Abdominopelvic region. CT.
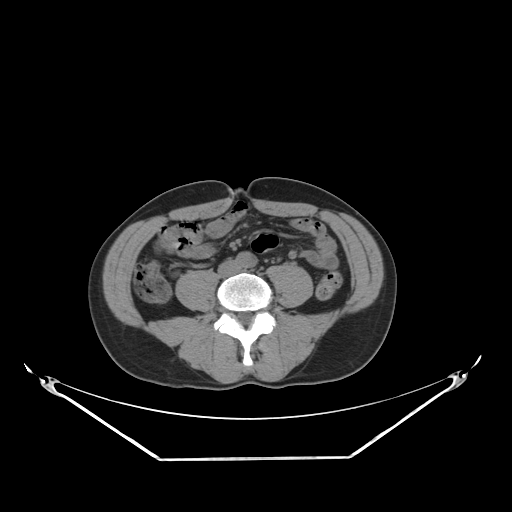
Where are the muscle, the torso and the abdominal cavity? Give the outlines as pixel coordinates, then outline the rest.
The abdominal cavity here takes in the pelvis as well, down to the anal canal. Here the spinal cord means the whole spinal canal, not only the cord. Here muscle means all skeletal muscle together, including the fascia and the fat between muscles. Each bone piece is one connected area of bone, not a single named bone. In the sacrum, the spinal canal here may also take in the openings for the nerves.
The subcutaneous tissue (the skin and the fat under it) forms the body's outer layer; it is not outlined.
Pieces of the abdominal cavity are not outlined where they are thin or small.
Outlined structures:
muscle: (243, 194) (330, 206) (352, 215) (368, 230) (380, 250) (383, 283) (374, 302) (338, 320) (322, 336) (304, 366) (289, 377) (264, 381) (248, 374) (231, 383) (211, 382) (196, 373) (159, 339) (122, 323) (114, 316) (103, 294) (103, 265) (113, 242) (131, 223) (174, 208) with a hole at (239, 198) (328, 224) (350, 274) (342, 305) (305, 313) (295, 308) (313, 294) (310, 274) (295, 262) (268, 267) (276, 324) (250, 346) (250, 366) (240, 341) (213, 328) (224, 309) (212, 269) (175, 283) (193, 315) (146, 321) (131, 291) (137, 257) (163, 224) (215, 217)
torso: (264, 176) (302, 180) (335, 194) (384, 238) (396, 267) (397, 293) (391, 325) (377, 353) (363, 368) (342, 379) (282, 388) (255, 384) (226, 390) (172, 388) (125, 372) (102, 346) (89, 313) (88, 275) (101, 244) (132, 212) (168, 189) (206, 179) (246, 187)
abdominal cavity: (239, 198) (260, 213) (310, 215) (328, 224) (349, 268) (343, 304) (317, 313) (296, 310) (314, 286) (295, 262) (268, 267) (271, 286) (253, 272) (219, 284) (212, 269) (192, 269) (179, 276) (174, 293) (197, 313) (146, 321) (131, 278) (148, 240) (170, 220) (215, 217)
spinal cord: (246, 311) (250, 311) (251, 312) (252, 312) (253, 313) (253, 318) (252, 319) (252, 321) (251, 322) (251, 323) (249, 325) (248, 325) (247, 326) (245, 326) (244, 325) (243, 325) (236, 318) (236, 313) (237, 313) (238, 312) (245, 312)
bones: (241, 272) (253, 273) (263, 278) (269, 284) (272, 289) (272, 298) (266, 309) (276, 322) (270, 333) (259, 335) (250, 346) (250, 356) (253, 361) (250, 366) (246, 366) (242, 362) (244, 350) (240, 341) (213, 328) (213, 323) (224, 310) (216, 295) (217, 288) (224, 279) with a hole at (246, 311) (250, 311) (251, 312) (252, 312) (253, 313) (253, 318) (252, 319) (252, 321) (251, 322) (251, 323) (249, 325) (248, 325) (247, 326) (245, 326) (244, 325) (243, 325) (236, 318) (236, 313) (237, 313) (238, 312) (245, 312)